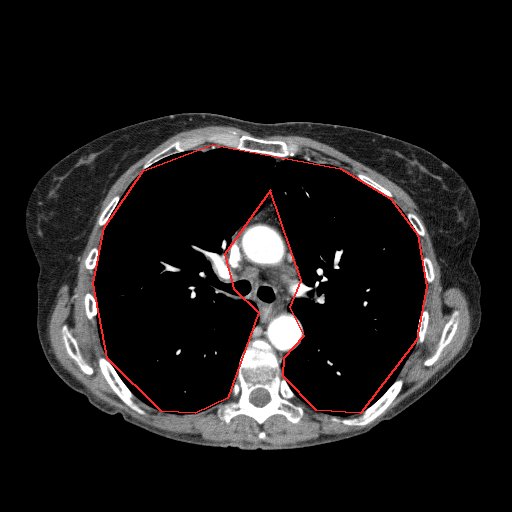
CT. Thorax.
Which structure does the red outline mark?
red: thoracic cavity.
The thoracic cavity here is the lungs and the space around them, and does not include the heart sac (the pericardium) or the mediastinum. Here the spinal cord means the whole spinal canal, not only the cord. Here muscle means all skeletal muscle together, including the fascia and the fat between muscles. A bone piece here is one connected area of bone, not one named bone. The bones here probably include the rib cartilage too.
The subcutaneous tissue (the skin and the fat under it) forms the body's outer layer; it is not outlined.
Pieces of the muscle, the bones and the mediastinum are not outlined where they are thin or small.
The thoracic cavity is outlined by 212 144; 340 168; 390 198; 417 234; 426 286; 416 340; 360 413; 316 410; 283 376; 284 357; 304 335; 290 307; 301 280; 270 190; 224 254; 233 288; 258 312; 227 398; 195 413; 161 411; 107 358; 93 283; 104 227; 143 170. The torso is outlined by 184 112; 362 128; 424 148; 452 167; 471 190; 480 217; 471 263; 481 284; 482 315; 467 354; 422 397; 367 433; 283 450; 168 439; 119 413; 102 412; 69 387; 49 365; 38 338; 39 267; 25 229; 30 193; 50 167; 85 143. The bones appear in 11 outlined pieces: piece 1: 253 340; 262 340; 269 345; 280 364; 282 376; 296 396; 297 401; 303 405; 304 413; 298 422; 293 423; 282 414; 271 415; 261 425; 244 414; 236 415; 228 423; 217 416; 216 409; 213 407; 228 399; 237 378; 241 355; 248 342, around a hole outlined by 258 388; 262 388; 263 389; 265 389; 268 392; 269 394; 269 396; 270 397; 270 399; 269 401; 267 403; 266 403; 262 406; 257 406; 253 404; 250 401; 250 394; 251 392; 253 390; 255 389; 257 389; piece 2: 229 129; 234 129; 239 135; 245 134; 267 140; 281 140; 285 142; 292 140; 300 147; 300 150; 294 156; 276 157; 269 154; 246 151; 214 143; 206 143; 204 147; 168 155; 148 167; 142 168; 151 157; 176 140; 198 134; 222 132; piece 3: 398 378; 401 378; 403 381; 400 391; 387 408; 381 414; 369 423; 365 425; 347 425; 341 422; 335 422; 331 420; 331 416; 337 416; 340 418; 357 416; 368 407; 372 405; 378 399; 379 399; 385 393; 385 392; 396 380; 396 379; piece 4: 100 356; 103 356; 105 357; 109 361; 118 376; 130 390; 130 391; 135 396; 134 400; 141 408; 146 411; 146 414; 141 414; 137 412; 135 410; 132 409; 115 393; 115 392; 106 381; 105 378; 100 371; 100 368; 98 364; 98 358; piece 5: 454 310; 458 311; 458 316; 457 317; 458 324; 455 333; 453 335; 450 342; 445 346; 442 350; 438 359; 431 365; 428 366; 424 365; 423 363; 424 361; 431 356; 436 351; 438 347; 438 344; 443 329; 446 323; 450 318; 452 312; piece 6: 64 325; 66 325; 67 326; 68 330; 72 336; 76 340; 77 342; 77 345; 82 358; 84 361; 93 369; 93 373; 92 374; 87 374; 83 372; 77 365; 75 361; 72 358; 71 358; 68 354; 63 341; 63 338; 62 337; 62 328; piece 7: 87 292; 90 292; 91 293; 92 293; 94 296; 94 299; 95 300; 95 303; 96 304; 96 309; 97 310; 97 313; 95 316; 95 320; 96 321; 96 325; 94 325; 86 315; 86 312; 85 311; 85 305; 84 304; 84 296; piece 8: 423 309; 425 309; 428 311; 428 313; 429 314; 429 318; 428 319; 428 323; 427 324; 427 327; 426 328; 426 331; 424 335; 423 341; 418 344; 416 344; 416 341; 417 340; 417 328; 418 327; 419 318; 421 315; 421 313; piece 9: 116 195; 119 195; 120 197; 114 209; 112 211; 110 216; 108 218; 104 226; 100 226; 98 223; 98 220; 99 219; 100 214; 102 212; 103 209; 106 206; 106 205; 110 201; 110 200; 114 196; piece 10: 359 172; 362 172; 366 174; 372 179; 373 179; 376 182; 377 182; 383 187; 387 189; 392 194; 392 197; 391 198; 389 197; 387 195; 384 194; 379 190; 376 189; 374 187; 366 183; 364 181; 360 179; 357 176; 356 176; 357 173; piece 11: 409 212; 413 212; 414 213; 415 213; 417 215; 417 216; 421 221; 421 222; 424 227; 424 231; 425 232; 425 234; 423 236; 419 236; 418 235; 418 234; 416 232; 415 229; 413 227; 412 224; 410 222; 410 221; 406 214. The spinal cord is outlined by 258 388; 262 388; 263 389; 265 389; 268 392; 269 394; 269 396; 270 397; 270 399; 269 401; 267 403; 266 403; 262 406; 257 406; 253 404; 250 401; 250 394; 251 392; 253 390; 255 389; 257 389. The muscle is outlined by 219 125; 237 127; 252 135; 229 128; 176 139; 151 156; 123 193; 114 195; 99 214; 97 223; 103 227; 99 245; 93 246; 84 259; 85 268; 93 274; 93 293; 87 291; 83 296; 85 315; 97 327; 105 354; 97 358; 99 371; 114 393; 141 415; 147 411; 137 398; 169 414; 195 414; 213 408; 226 424; 238 415; 260 426; 274 415; 295 424; 305 413; 299 400; 330 415; 332 422; 365 426; 388 408; 404 383; 398 375; 415 344; 424 341; 429 323; 429 311; 423 306; 427 284; 434 280; 435 273; 431 259; 423 256; 421 249; 419 237; 426 234; 425 227; 415 212; 405 213; 392 199; 393 194; 366 173; 354 175; 308 155; 297 155; 301 147; 292 139; 263 138; 309 137; 375 170; 409 195; 430 236; 443 288; 453 286; 464 292; 471 314; 470 330; 458 353; 420 388; 366 427; 282 445; 214 441; 199 434; 170 432; 96 398; 52 351; 48 325; 57 292; 63 284; 71 289; 75 285; 77 258; 111 186; 131 165; 171 136 with holes at 454 310; 458 311; 458 316; 457 317; 458 324; 455 333; 453 335; 450 342; 445 346; 442 350; 438 359; 431 365; 428 366; 424 365; 423 363; 424 361; 431 356; 436 351; 438 347; 438 344; 443 329; 446 323; 450 318; 452 312 and at 64 325; 66 325; 67 326; 68 330; 72 336; 76 340; 77 342; 77 345; 82 358; 84 361; 93 369; 93 373; 92 374; 87 374; 83 372; 77 365; 75 361; 72 358; 71 358; 68 354; 63 341; 63 338; 62 337; 62 328 and at 260 430; 263 430; 265 432; 265 433; 266 434; 266 436; 265 437; 265 438; 264 438; 263 439; 261 439; 260 438; 259 438; 259 437; 258 436; 258 433; 259 432; 259 431. The mediastinum is outlined by 270 191; 275 214; 298 266; 299 288; 295 299; 289 307; 303 328; 301 343; 295 349; 287 353; 280 363; 267 342; 262 339; 250 340; 252 332; 259 320; 258 308; 252 300; 241 298; 237 293; 231 280; 225 255; 234 232; 263 207.